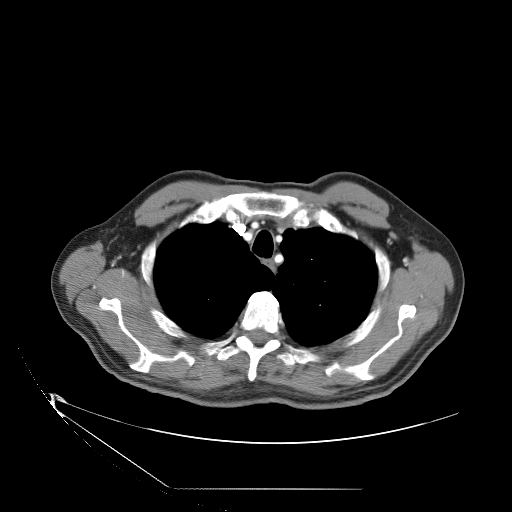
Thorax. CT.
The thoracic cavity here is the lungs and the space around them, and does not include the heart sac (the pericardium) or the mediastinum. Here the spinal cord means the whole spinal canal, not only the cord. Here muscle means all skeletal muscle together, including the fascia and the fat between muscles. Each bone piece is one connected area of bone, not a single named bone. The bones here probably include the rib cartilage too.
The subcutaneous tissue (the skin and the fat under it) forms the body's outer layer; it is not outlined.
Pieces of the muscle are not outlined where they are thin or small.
{"mediastinum":[[[258,215],[285,218],[290,220],[295,227],[302,227],[304,228],[307,227],[311,223],[317,225],[312,227],[298,229],[288,228],[283,232],[280,243],[283,262],[278,267],[275,275],[269,268],[260,263],[239,234],[225,223],[217,220],[225,219],[231,223],[237,223],[245,217]]],"muscle":[{"outer":[[183,179],[262,189],[204,200],[157,248],[153,238],[140,254],[142,278],[163,311],[152,306],[149,313],[163,332],[176,338],[214,340],[232,328],[227,336],[198,348],[219,361],[248,356],[248,381],[201,392],[120,369],[63,307],[58,291],[70,253],[114,239],[136,206]],"hole":[[102,297],[119,299],[124,325],[150,351],[164,356],[172,356],[180,349],[185,350],[194,357],[193,364],[189,366],[183,358],[179,358],[173,361],[155,361],[147,373],[134,370],[128,364],[138,359],[139,348],[120,329],[117,315],[111,310],[99,307]]},{"outer":[[340,180],[383,198],[400,230],[445,257],[454,284],[443,319],[394,379],[323,398],[254,381],[258,364],[272,352],[287,367],[319,362],[308,347],[363,340],[380,317],[380,305],[370,308],[391,261],[328,209],[310,211],[293,195],[266,190],[320,192]],"hole":[[402,304],[414,305],[416,308],[415,314],[401,322],[401,336],[370,363],[369,371],[375,375],[373,379],[361,380],[349,373],[338,370],[330,376],[325,373],[326,366],[334,361],[337,361],[341,366],[363,362],[395,336],[398,332],[398,310]]},[[284,328],[284,329],[285,330],[285,332],[288,335],[288,336],[294,342],[295,342],[297,344],[302,346],[302,347],[299,347],[298,346],[295,346],[294,345],[291,344],[289,342],[288,342],[284,337],[283,337],[283,336],[282,335],[282,330]]],"thoracic_cavity":[[[215,221],[239,235],[274,276],[284,262],[281,243],[288,229],[319,226],[358,240],[373,253],[377,269],[368,313],[345,335],[305,347],[286,332],[279,301],[263,289],[248,297],[223,335],[208,339],[186,331],[164,312],[156,293],[157,249],[188,224]]],"spinal_cord":[[[256,328],[261,328],[262,329],[263,329],[269,334],[269,336],[268,337],[268,339],[263,344],[262,344],[261,345],[256,345],[255,344],[254,344],[253,343],[253,342],[249,338],[249,337],[248,336],[248,332],[249,331],[250,331],[251,330],[253,330]]],"torso":[[[180,169],[265,182],[310,182],[331,171],[348,170],[379,183],[441,230],[458,253],[465,285],[451,331],[390,394],[342,408],[298,409],[278,403],[206,407],[117,379],[98,363],[84,340],[60,316],[50,290],[51,271],[74,235],[107,219],[153,180]]],"bones":[{"outer":[[263,290],[270,291],[278,301],[284,322],[282,337],[295,347],[307,348],[321,359],[287,366],[272,351],[260,358],[256,376],[253,381],[249,381],[247,372],[250,360],[245,351],[219,360],[215,354],[209,356],[199,347],[206,342],[227,337],[249,297]],"hole":[[256,328],[261,328],[262,329],[263,329],[269,334],[269,336],[268,337],[268,339],[263,344],[262,344],[261,345],[256,345],[255,344],[254,344],[253,343],[253,342],[249,338],[249,337],[248,336],[248,332],[249,331],[250,331],[251,330],[253,330]]},[[262,190],[293,196],[302,201],[310,212],[319,208],[328,210],[343,224],[353,228],[358,239],[331,232],[314,221],[304,227],[295,226],[290,219],[268,214],[245,216],[237,222],[218,218],[209,223],[194,222],[178,228],[184,217],[204,201],[232,193]],[[102,297],[119,299],[124,325],[150,351],[164,356],[172,356],[180,349],[185,350],[194,357],[193,364],[189,366],[183,358],[179,358],[173,361],[155,361],[147,373],[134,370],[128,364],[138,359],[139,348],[120,329],[117,315],[111,310],[99,307]],[[402,304],[414,305],[416,308],[415,314],[401,322],[401,336],[370,363],[369,371],[375,375],[373,379],[361,380],[349,373],[338,370],[330,376],[325,373],[326,366],[334,361],[337,361],[341,366],[363,362],[395,336],[398,332],[398,310]],[[377,306],[380,306],[381,308],[381,311],[380,312],[379,317],[369,333],[363,339],[347,347],[344,347],[338,344],[335,344],[335,341],[336,340],[339,339],[341,337],[345,336],[348,333],[354,330],[365,319],[369,312],[371,310],[374,309]],[[376,244],[381,247],[381,248],[388,257],[388,259],[390,261],[390,272],[389,273],[389,280],[385,288],[382,291],[378,293],[376,292],[377,291],[377,286],[378,285],[378,269],[376,265],[375,256],[374,255],[374,251],[373,250],[374,249],[374,246]],[[153,239],[155,239],[155,241],[156,242],[156,252],[155,253],[155,258],[154,259],[153,269],[152,270],[152,279],[153,280],[153,287],[151,287],[147,284],[147,283],[143,278],[143,276],[141,272],[140,262],[141,261],[141,254],[144,248]],[[152,307],[163,312],[172,321],[173,321],[176,324],[177,324],[183,330],[187,332],[187,337],[185,338],[183,337],[176,337],[175,336],[170,335],[166,333],[164,331],[163,331],[158,326],[158,325],[154,320],[152,315],[150,313],[150,309]]]}